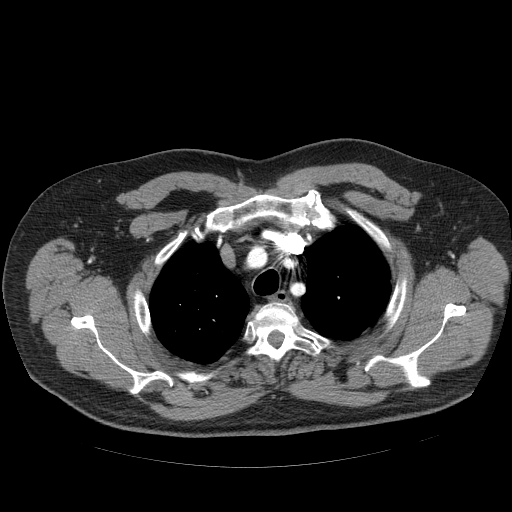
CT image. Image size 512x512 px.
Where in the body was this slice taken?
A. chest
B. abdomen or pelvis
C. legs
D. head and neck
A. chest
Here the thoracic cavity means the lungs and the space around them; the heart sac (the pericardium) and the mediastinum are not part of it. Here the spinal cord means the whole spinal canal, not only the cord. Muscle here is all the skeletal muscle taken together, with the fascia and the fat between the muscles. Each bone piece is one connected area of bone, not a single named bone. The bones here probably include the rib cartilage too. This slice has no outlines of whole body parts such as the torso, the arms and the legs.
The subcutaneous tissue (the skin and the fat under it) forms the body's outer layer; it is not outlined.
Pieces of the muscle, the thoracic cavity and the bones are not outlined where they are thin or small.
The muscle is outlined by 352,161 422,194 409,241 424,259 449,257 478,236 502,254 504,299 474,364 432,382 418,370 419,356 447,321 466,314 464,304 447,302 429,340 397,356 375,354 363,366 395,365 418,389 363,407 277,391 229,414 183,421 66,371 32,328 30,260 62,236 85,262 114,264 126,242 127,216 115,200 121,192 184,170 266,188 296,168; inner edges: 309,189 338,220 352,221 347,206 387,237 391,282 407,279 391,328 379,337 380,318 334,340 338,348 290,349 279,363 244,355 238,342 206,365 142,332 133,293 148,300 156,254 180,230 258,193 295,198, then 86,314 93,317 102,345 121,363 142,372 162,370 173,377 173,384 170,386 165,380 156,379 147,384 138,393 129,393 128,388 133,384 132,376 99,347 94,333 89,328 75,328 71,324 70,321 73,316, then 218,367 221,367 217,371 216,373 216,375 214,377 208,380 206,380 203,382 193,382 192,383 190,383 185,380 183,380 181,379 179,377 176,376 174,374 174,372 175,370 194,370 197,372 208,372. The thoracic cavity appears in 2 outlined pieces: piece 1: 207,238 211,238 215,244 222,264 239,279 248,296 250,311 254,312 252,314 252,317 246,321 238,342 215,362 201,365 188,362 172,354 158,340 152,326 148,298 154,280 166,262 180,246 192,239 200,243; piece 2: 339,220 354,223 372,240 389,264 391,270 391,282 393,284 386,307 377,323 360,336 347,341 333,340 307,327 303,324 296,311 300,309 302,296 306,292 307,258 305,249 316,241 322,233 332,231 338,225. The spinal cord is outlined by 273,331 278,331 279,332 280,332 282,334 283,334 283,339 282,340 282,341 281,342 281,343 280,344 280,345 278,347 275,347 273,345 272,345 268,341 268,336 269,335 269,334 270,333 271,333. The bones appear in 8 outlined pieces: piece 1: 309,189 320,192 322,203 336,216 338,223 332,230 323,232 313,225 301,227 272,216 210,233 200,242 189,233 154,279 154,261 162,247 180,230 190,233 195,225 202,227 206,215 217,207 264,192 295,198; piece 2: 270,302 280,302 291,304 304,326 332,340 338,348 323,349 314,356 299,349 290,349 285,353 279,363 275,363 265,354 244,355 242,353 243,348 239,340 244,332 246,323 248,320 253,317 253,314 261,306, around a hole outlined by 273,331 278,331 279,332 280,332 282,334 283,334 283,339 282,340 282,341 281,342 281,343 280,344 280,345 278,347 275,347 273,345 272,345 268,341 268,336 269,335 269,334 270,333 271,333; piece 3: 447,303 464,305 466,311 464,315 451,316 437,339 418,356 417,370 421,375 430,379 429,385 412,387 401,368 387,361 378,361 368,371 365,371 366,362 375,355 397,357 412,352 429,341 440,328 444,307; piece 4: 86,314 93,317 102,345 121,363 142,372 162,370 173,377 173,384 170,386 165,380 156,379 147,384 138,393 129,393 128,388 133,384 132,376 99,347 94,333 89,328 75,328 71,324 70,321 73,316; piece 5: 342,205 347,206 362,213 365,216 373,221 383,231 387,237 387,239 391,247 391,249 387,252 387,255 390,258 390,262 389,263 383,253 373,241 373,240 361,227 360,227 351,220 347,214 344,207; piece 6: 400,276 403,276 407,279 406,297 405,298 405,301 404,302 402,310 400,312 400,314 395,323 391,327 391,328 379,337 379,336 383,333 385,329 385,324 386,323 384,320 381,320 381,318 389,302 394,285; piece 7: 137,288 139,288 142,291 148,304 149,315 150,316 150,319 151,320 151,326 153,330 153,332 152,332 148,336 145,335 140,329 138,325 138,323 137,322 135,314 134,313 134,308 133,307 133,293; piece 8: 218,367 221,367 217,371 216,373 216,375 214,377 208,380 206,380 203,382 193,382 192,383 190,383 185,380 183,380 181,379 179,377 176,376 174,374 174,372 175,370 194,370 197,372 208,372. The mediastinum is outlined by 272,217 301,228 313,226 322,232 304,249 306,258 305,292 301,296 299,309 296,309 291,303 270,301 255,311 251,311 250,299 244,286 240,279 223,264 216,244 209,237 216,232 224,233 236,230 254,219.